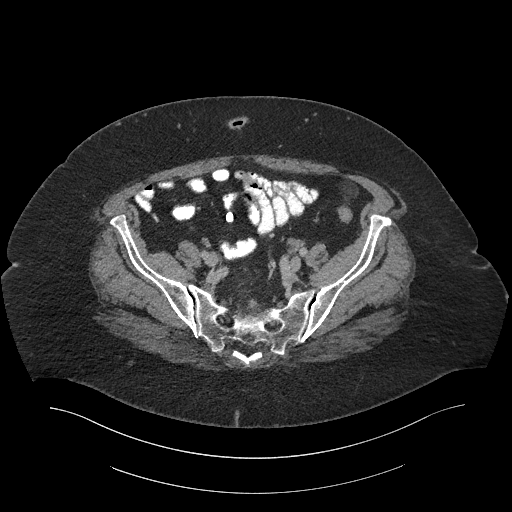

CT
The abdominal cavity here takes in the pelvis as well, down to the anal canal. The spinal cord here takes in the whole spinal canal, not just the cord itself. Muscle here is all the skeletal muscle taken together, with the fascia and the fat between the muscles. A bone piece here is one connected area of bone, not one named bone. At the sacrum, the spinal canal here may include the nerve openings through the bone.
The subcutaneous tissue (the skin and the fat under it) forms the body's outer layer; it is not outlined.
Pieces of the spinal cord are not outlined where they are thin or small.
The muscle is outlined by [[253,153],[255,154],[268,154],[274,156],[285,156],[291,158],[311,160],[319,163],[325,163],[338,167],[342,167],[352,171],[357,171],[363,174],[365,173],[386,182],[399,192],[407,205],[407,212],[401,217],[399,224],[401,230],[404,233],[407,239],[408,245],[410,247],[415,258],[415,266],[416,267],[415,268],[415,276],[410,284],[410,288],[409,289],[410,299],[409,300],[408,312],[406,315],[405,320],[403,321],[399,329],[369,350],[364,355],[360,355],[355,357],[333,361],[330,363],[313,367],[310,369],[292,375],[269,368],[242,370],[241,371],[229,371],[228,372],[212,372],[207,370],[203,370],[198,368],[186,366],[182,364],[173,363],[158,356],[155,356],[123,342],[118,341],[97,324],[93,322],[90,319],[90,312],[94,302],[97,299],[97,297],[88,277],[88,263],[89,262],[90,251],[95,240],[95,235],[98,231],[93,227],[88,220],[93,213],[94,208],[107,195],[117,190],[122,185],[146,174],[168,169],[175,166],[179,166],[197,160],[215,157],[220,155],[252,154]]; inner edge: [[239,160],[372,195],[351,243],[330,257],[322,242],[308,250],[316,292],[358,259],[372,213],[392,220],[305,341],[283,356],[264,349],[248,366],[230,345],[213,352],[194,336],[109,223],[124,214],[145,262],[187,285],[198,246],[149,251],[129,199]]. The spinal cord appears in 2 outlined pieces: piece 1: [[223,315],[225,315],[226,316],[227,316],[228,317],[228,318],[229,319],[229,321],[228,322],[228,323],[227,324],[226,324],[225,325],[223,325],[222,324],[221,324],[220,323],[220,322],[219,321],[219,319],[220,318],[220,317],[221,316],[222,316]]; piece 2: [[273,320],[275,320],[276,321],[277,321],[278,322],[278,323],[279,324],[279,326],[278,327],[278,328],[277,329],[276,329],[275,330],[273,330],[272,329],[271,329],[270,328],[270,327],[269,326],[269,324],[270,323],[270,322],[271,321],[272,321]]. The bones are outlined by [[372,213],[392,223],[321,324],[304,342],[288,343],[283,356],[264,349],[248,366],[231,355],[230,345],[213,352],[194,336],[160,288],[133,265],[109,223],[125,215],[140,255],[155,271],[252,313],[282,307],[294,293],[316,292],[342,276],[360,255]], around holes outlined by [[241,347],[253,347],[254,348],[255,348],[255,350],[252,353],[251,353],[250,354],[249,354],[248,355],[247,355],[246,354],[245,354],[243,352],[242,352],[240,350],[240,348]] and by [[273,320],[275,320],[276,321],[277,321],[278,322],[278,323],[279,324],[279,326],[278,327],[278,328],[277,329],[276,329],[275,330],[273,330],[272,329],[271,329],[270,328],[270,327],[269,326],[269,324],[270,323],[270,322],[271,321],[272,321]] and by [[223,315],[225,315],[226,316],[227,316],[228,317],[228,318],[229,319],[229,321],[228,322],[228,323],[227,324],[226,324],[225,325],[223,325],[222,324],[221,324],[220,323],[220,322],[219,321],[219,319],[220,318],[220,317],[221,316],[222,316]]. The torso is outlined by [[223,95],[287,96],[343,107],[382,125],[424,159],[468,219],[477,251],[508,293],[484,367],[450,372],[352,415],[276,428],[177,420],[67,379],[32,379],[10,328],[1,279],[11,263],[6,255],[10,234],[32,195],[79,143],[108,123],[166,102]]. The abdominal cavity is outlined by [[239,160],[355,182],[373,197],[360,211],[360,231],[351,243],[330,257],[322,242],[308,250],[304,260],[312,288],[294,292],[282,306],[252,312],[219,303],[190,282],[201,265],[192,241],[180,241],[175,255],[149,251],[140,213],[129,200],[145,186]].